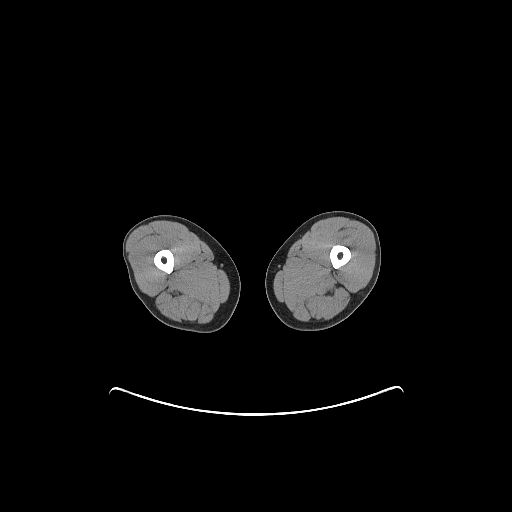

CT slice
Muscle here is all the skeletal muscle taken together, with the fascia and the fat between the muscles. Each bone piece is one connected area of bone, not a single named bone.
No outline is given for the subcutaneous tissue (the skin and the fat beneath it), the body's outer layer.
{"bones":[[[162,249],[168,249],[171,252],[172,252],[172,253],[174,256],[174,266],[173,267],[173,270],[170,273],[166,273],[164,271],[163,271],[162,270],[159,269],[154,264],[154,263],[153,262],[153,257],[154,256],[154,255],[157,252],[160,251]],[[335,245],[340,245],[341,246],[345,246],[347,247],[347,248],[350,251],[350,259],[344,265],[341,266],[339,268],[334,268],[333,267],[331,263],[330,258],[329,257],[330,255],[330,252],[331,251],[331,249],[332,247],[333,247]]],"left_leg":[[[333,210],[343,210],[353,212],[363,216],[374,225],[379,236],[381,247],[381,265],[376,283],[367,297],[353,313],[336,325],[327,329],[318,331],[300,331],[292,329],[280,321],[269,304],[265,291],[266,269],[271,258],[278,248],[300,224],[314,215]]],"muscle":[{"outer":[[158,219],[173,220],[188,226],[198,233],[214,249],[215,255],[226,273],[230,284],[228,300],[219,320],[215,324],[207,327],[198,327],[181,324],[170,319],[163,315],[153,305],[149,297],[138,287],[125,252],[126,242],[130,234],[135,229],[148,222]],"hole":[[162,249],[168,249],[171,252],[172,252],[172,253],[174,256],[174,266],[173,267],[173,270],[170,273],[166,273],[164,271],[163,271],[162,270],[159,269],[154,264],[154,263],[153,262],[153,257],[154,256],[154,255],[157,252],[160,251]]},{"outer":[[333,216],[343,216],[350,219],[360,221],[372,231],[375,240],[375,265],[373,269],[373,273],[366,286],[362,288],[346,307],[339,313],[329,319],[319,322],[302,322],[297,320],[286,310],[275,297],[272,286],[274,271],[291,245],[299,239],[316,221]],"hole":[[335,245],[340,245],[341,246],[345,246],[347,247],[347,248],[350,251],[350,259],[344,265],[341,266],[339,268],[334,268],[333,267],[331,263],[330,258],[329,257],[330,255],[330,252],[331,251],[331,249],[332,247],[333,247]]}],"right_leg":[[[159,214],[171,214],[180,216],[199,225],[211,234],[223,246],[232,258],[240,277],[240,295],[232,316],[228,322],[219,330],[211,333],[197,333],[170,327],[154,317],[134,293],[129,281],[127,268],[122,255],[123,238],[126,232],[134,224],[144,218]]]}